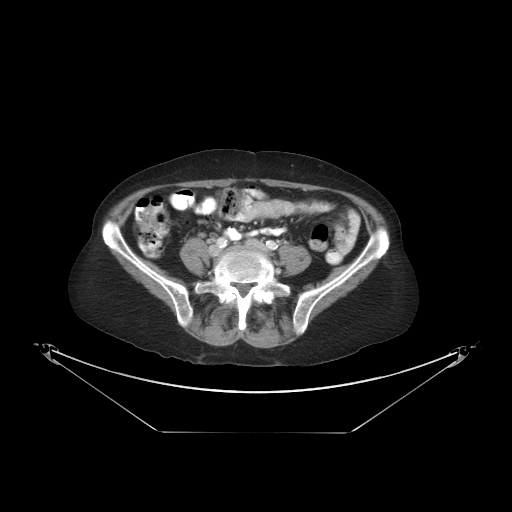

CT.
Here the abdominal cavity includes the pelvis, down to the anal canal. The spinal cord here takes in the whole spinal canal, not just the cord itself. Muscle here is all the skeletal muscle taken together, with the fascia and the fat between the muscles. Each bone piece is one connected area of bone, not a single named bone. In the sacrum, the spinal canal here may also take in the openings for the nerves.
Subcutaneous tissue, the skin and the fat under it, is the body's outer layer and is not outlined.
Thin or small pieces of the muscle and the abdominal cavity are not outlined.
{"bones":[{"outer":[[243,245],[253,246],[267,255],[275,269],[275,277],[289,286],[290,294],[276,296],[270,304],[253,301],[245,316],[246,326],[241,330],[238,310],[233,304],[220,303],[210,292],[196,293],[194,287],[198,280],[213,277],[214,264],[224,252],[232,246]],"hole":[[234,283],[239,283],[240,284],[252,284],[252,285],[250,287],[250,288],[249,289],[249,290],[247,292],[247,293],[244,296],[242,296],[240,294],[240,293],[239,292],[239,291],[238,290],[238,289],[233,284]]},[[379,227],[383,227],[386,229],[389,234],[390,245],[387,251],[380,258],[371,260],[340,285],[324,295],[313,307],[309,315],[306,330],[301,335],[297,335],[294,331],[292,315],[298,299],[298,294],[325,284],[339,275],[359,255],[367,243],[370,235]],[[106,220],[112,220],[117,223],[126,243],[131,250],[147,266],[167,279],[182,284],[187,288],[189,301],[193,309],[193,315],[190,323],[185,328],[178,324],[173,302],[170,296],[161,285],[140,270],[121,254],[111,249],[104,243],[101,235],[101,228]]],"muscle":[[[140,258],[186,282],[194,281],[196,294],[210,293],[217,297],[220,304],[233,305],[237,310],[237,328],[241,331],[247,326],[246,316],[253,302],[270,305],[276,297],[288,297],[290,286],[301,288],[308,283],[313,284],[324,279],[333,269],[349,264],[325,283],[297,294],[291,320],[293,331],[299,337],[286,345],[259,348],[241,339],[230,345],[215,346],[188,334],[182,328],[191,323],[194,315],[188,288],[160,274]],[[229,177],[279,179],[326,186],[350,192],[367,201],[382,214],[388,225],[390,237],[388,230],[383,226],[377,227],[369,236],[362,213],[358,207],[344,195],[327,190],[303,190],[292,187],[270,186],[261,182],[251,181],[235,182],[223,186],[172,186],[155,189],[144,194],[135,202],[121,228],[121,231],[118,223],[112,219],[106,219],[102,224],[104,217],[111,207],[127,195],[141,188],[164,183],[203,179],[220,179]],[[192,237],[199,237],[205,242],[209,254],[209,262],[210,263],[210,270],[209,271],[212,272],[211,273],[213,275],[210,279],[206,279],[205,276],[204,278],[202,279],[200,277],[192,273],[184,265],[180,258],[180,255],[179,254],[180,249],[186,240]],[[387,252],[383,258],[380,260],[374,269],[363,281],[362,281],[355,288],[351,290],[345,296],[339,298],[331,305],[320,312],[312,320],[311,323],[309,325],[310,315],[314,307],[324,296],[335,288],[340,286],[352,275],[371,261],[377,259],[380,259]],[[284,244],[301,245],[308,251],[311,256],[311,262],[303,271],[299,273],[297,273],[294,275],[291,275],[290,276],[284,276],[283,275],[282,271],[280,269],[279,267],[279,264],[278,263],[278,261],[279,260],[279,254],[278,253],[278,250],[279,248]],[[107,246],[111,250],[113,250],[121,255],[140,271],[144,273],[160,285],[169,296],[172,302],[174,308],[174,312],[175,313],[175,318],[172,312],[165,303],[159,298],[154,296],[150,293],[141,283],[136,281],[131,275],[120,265],[118,261],[109,251]]],"abdominal_cavity":[{"outer":[[241,182],[344,196],[361,213],[367,241],[351,262],[333,268],[318,281],[296,287],[278,280],[271,259],[253,245],[230,246],[210,271],[206,242],[192,236],[178,254],[183,265],[201,279],[186,281],[172,275],[138,256],[122,233],[136,202],[165,188]],"hole":[[284,244],[301,245],[308,251],[311,256],[311,262],[303,271],[299,273],[297,273],[294,275],[291,275],[290,276],[284,276],[283,275],[282,271],[280,269],[279,267],[279,264],[278,263],[278,261],[279,260],[279,254],[278,253],[278,250],[279,248]]}],"spinal_cord":[[[234,283],[239,283],[240,284],[252,284],[252,285],[250,287],[250,288],[249,289],[249,290],[247,292],[247,293],[244,296],[242,296],[240,294],[240,293],[239,292],[239,291],[238,290],[238,289],[233,284]]],"torso":[[[211,148],[280,150],[313,156],[358,176],[380,191],[398,214],[403,245],[418,282],[419,304],[410,327],[396,337],[330,362],[303,367],[250,367],[193,364],[172,357],[164,358],[80,319],[68,300],[68,274],[90,235],[93,214],[105,195],[141,169]]]}